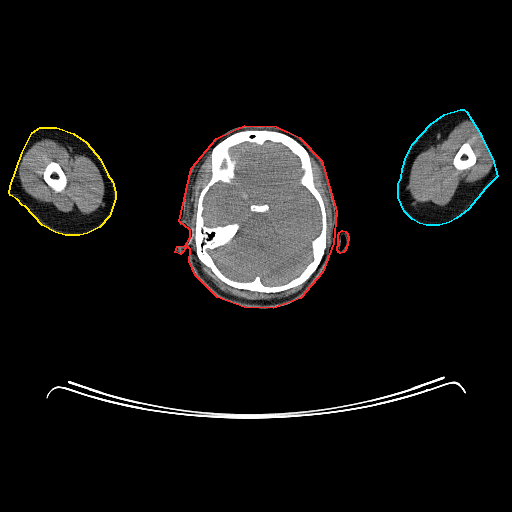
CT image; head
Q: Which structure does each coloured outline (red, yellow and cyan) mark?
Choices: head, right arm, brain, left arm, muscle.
A: red: head; yellow: right arm; cyan: left arm.
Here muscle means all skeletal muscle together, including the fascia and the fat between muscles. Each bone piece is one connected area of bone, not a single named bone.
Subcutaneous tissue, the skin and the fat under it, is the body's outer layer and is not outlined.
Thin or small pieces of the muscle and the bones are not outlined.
head 1: 244 125; 276 126; 299 137; 321 160; 336 211; 333 243; 322 272; 300 298; 273 308; 244 307; 217 297; 195 275; 189 261; 190 249; 187 246; 180 254; 175 252; 177 246; 185 245; 190 237; 190 230; 179 221; 191 168; 216 138
head 2: 342 230; 345 231; 347 233; 347 235; 348 236; 348 240; 347 241; 347 245; 346 246; 346 248; 345 249; 345 250; 343 252; 340 253; 339 252; 338 252; 338 251; 337 250; 337 246; 338 245; 338 234; 339 233; 339 232
right arm: 40 127; 56 127; 73 133; 86 142; 100 159; 107 174; 112 181; 115 192; 115 198; 109 216; 99 227; 87 233; 79 235; 65 235; 55 232; 42 225; 25 206; 22 205; 17 199; 10 195; 9 193; 10 186; 22 152; 32 132
left arm: 460 109; 463 109; 466 111; 481 135; 481 137; 492 158; 497 176; 485 188; 468 209; 456 218; 449 222; 439 225; 426 225; 419 223; 412 219; 404 211; 398 197; 398 184; 401 177; 402 169; 406 156; 413 143; 430 124; 444 114
bones 1: 243 130; 278 131; 290 136; 301 144; 310 156; 314 185; 321 196; 325 208; 326 246; 321 261; 315 271; 304 282; 278 292; 258 292; 233 287; 217 277; 199 259; 196 253; 194 229; 197 203; 201 190; 211 177; 211 151; 226 137, around a hole outlined by 268 141; 298 158; 299 183; 320 214; 319 233; 310 242; 311 260; 296 276; 272 285; 259 275; 251 280; 226 275; 210 250; 228 244; 241 225; 235 221; 208 226; 203 216; 210 188; 218 182; 230 184; 236 175; 237 160; 230 149
bones 2: 51 161; 54 161; 59 164; 60 167; 62 169; 66 177; 66 180; 67 181; 66 185; 65 187; 61 191; 59 192; 56 192; 53 189; 52 189; 52 188; 50 187; 44 180; 44 178; 43 177; 43 174; 42 172; 44 170; 46 166
bones 3: 465 142; 468 142; 469 143; 470 146; 472 148; 472 149; 476 156; 476 160; 475 161; 475 163; 469 168; 467 168; 466 169; 464 169; 463 170; 458 170; 454 166; 454 165; 453 164; 453 159; 454 158; 456 153; 460 148; 460 147
bones 4: 252 203; 254 203; 255 204; 263 204; 264 203; 266 203; 269 205; 269 209; 267 211; 266 211; 265 212; 262 212; 261 213; 257 213; 256 212; 252 212; 250 210; 250 209; 249 208; 249 207; 250 206; 250 204; 251 204
brain: 268 141; 298 158; 299 183; 320 214; 319 233; 310 242; 311 260; 296 276; 272 285; 259 275; 251 280; 226 275; 210 250; 228 244; 241 225; 235 221; 208 226; 203 216; 210 188; 218 182; 230 184; 236 175; 237 160; 230 149 with a hole at 252 203; 254 203; 255 204; 263 204; 264 203; 266 203; 269 205; 269 209; 267 211; 266 211; 265 212; 262 212; 261 213; 257 213; 256 212; 252 212; 250 210; 250 209; 249 208; 249 207; 250 206; 250 204; 251 204
muscle 1: 43 138; 49 138; 67 147; 72 147; 73 149; 91 159; 96 165; 104 183; 103 202; 97 210; 89 215; 81 215; 72 212; 62 212; 59 211; 51 203; 38 201; 24 191; 21 187; 19 178; 19 169; 21 162; 29 148; 35 142 with a hole at 51 161; 54 161; 59 164; 60 167; 62 169; 66 177; 66 180; 67 181; 66 185; 65 187; 61 191; 59 192; 56 192; 53 189; 52 189; 52 188; 50 187; 44 180; 44 178; 43 177; 43 174; 42 172; 44 170; 46 166
muscle 2: 463 120; 469 121; 472 120; 481 135; 494 164; 485 176; 471 183; 463 190; 458 192; 445 206; 418 203; 414 199; 412 199; 407 189; 410 170; 415 158; 422 151; 426 150; 431 145; 434 145; 438 141; 444 138; 457 124; inner edge: 465 142; 468 142; 469 143; 470 146; 472 148; 472 149; 476 156; 476 160; 475 161; 475 163; 469 168; 467 168; 466 169; 464 169; 463 170; 458 170; 454 166; 454 165; 453 164; 453 159; 454 158; 456 153; 460 148; 460 147
muscle 3: 196 254; 198 259; 205 266; 209 268; 217 278; 225 284; 236 289; 258 293; 278 293; 294 288; 305 282; 305 283; 296 292; 281 298; 274 298; 267 300; 266 299; 254 300; 238 297; 220 289; 207 276; 202 270; 199 262; 196 259
muscle 4: 210 152; 210 155; 209 156; 210 157; 210 177; 205 185; 200 190; 198 195; 198 198; 196 203; 196 214; 195 215; 194 228; 192 227; 188 216; 189 200; 192 193; 192 186; 195 182; 195 179; 198 170; 207 155
muscle 5: 311 156; 317 163; 321 170; 322 177; 323 178; 323 182; 325 185; 326 194; 328 197; 330 207; 331 208; 330 239; 327 246; 327 214; 326 213; 326 208; 322 196; 315 185; 314 174; 313 173; 312 163; 311 162